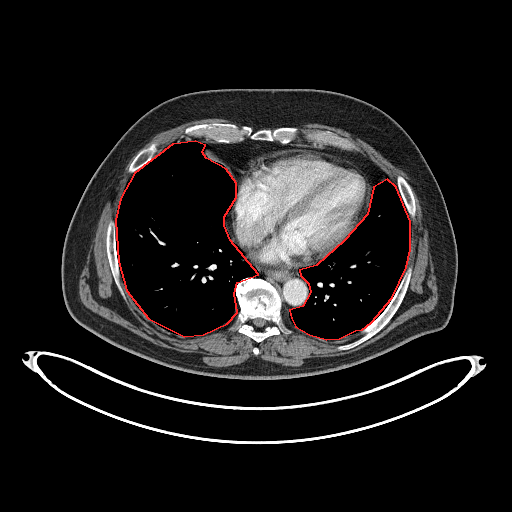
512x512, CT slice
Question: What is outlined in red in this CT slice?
Answer: red: thoracic cavity.
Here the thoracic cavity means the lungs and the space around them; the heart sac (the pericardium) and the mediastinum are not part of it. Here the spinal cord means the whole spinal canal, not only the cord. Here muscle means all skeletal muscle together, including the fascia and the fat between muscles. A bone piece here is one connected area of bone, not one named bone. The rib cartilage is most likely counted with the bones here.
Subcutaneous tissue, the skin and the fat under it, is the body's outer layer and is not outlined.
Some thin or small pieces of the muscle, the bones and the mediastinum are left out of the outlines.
{"thoracic_cavity":[[[184,336],[203,334],[227,323],[237,312],[234,293],[237,282],[258,274],[230,240],[224,225],[224,216],[236,197],[236,183],[226,169],[206,158],[202,152],[205,145],[195,141],[172,144],[134,173],[120,198],[115,220],[118,261],[126,290],[148,318]],[[326,339],[339,338],[355,330],[362,329],[371,322],[392,297],[406,267],[410,249],[410,221],[396,187],[387,179],[373,187],[367,214],[344,240],[316,265],[299,270],[300,275],[308,283],[310,292],[302,306],[289,310],[291,318],[295,326],[309,334]]],"spinal_cord":[[[261,329],[263,327],[264,327],[267,324],[268,324],[268,322],[267,321],[266,321],[265,320],[264,320],[262,318],[255,318],[254,319],[253,319],[251,321],[251,322],[252,323],[252,324],[253,325],[254,325],[255,326],[255,327],[256,328],[260,328]]],"pericardium":[[[289,267],[306,266],[329,254],[355,227],[367,209],[371,193],[371,184],[365,173],[353,162],[337,156],[309,149],[289,149],[278,150],[255,157],[242,169],[239,178],[238,193],[234,204],[234,210],[231,216],[232,224],[240,244],[259,261],[272,266]]],"bones":[{"outer":[[256,342],[260,342],[268,336],[278,334],[281,331],[285,333],[290,333],[291,330],[285,325],[283,320],[281,313],[282,300],[277,290],[269,282],[263,279],[246,277],[238,282],[235,289],[238,303],[238,312],[230,329],[235,328],[239,332],[249,336]],"hole":[[261,329],[263,327],[264,327],[267,324],[268,324],[268,322],[267,321],[266,321],[265,320],[264,320],[262,318],[255,318],[254,319],[253,319],[251,321],[251,322],[252,323],[252,324],[253,325],[254,325],[255,326],[255,327],[256,328],[260,328]]},[[282,144],[290,143],[295,140],[299,132],[295,126],[278,127],[273,130],[264,128],[254,131],[251,127],[246,125],[239,127],[233,123],[214,122],[191,125],[184,130],[185,134],[190,137],[202,137],[216,142],[237,142],[247,136],[255,140],[275,140]],[[338,350],[349,349],[354,347],[377,333],[385,326],[398,309],[406,293],[410,277],[412,273],[411,266],[409,265],[407,266],[402,279],[393,297],[384,310],[371,323],[361,331],[364,334],[361,337],[352,342],[346,343],[343,345],[339,345],[337,347]],[[123,298],[125,298],[126,295],[125,294],[125,289],[123,287],[120,281],[119,267],[117,261],[117,253],[115,248],[115,223],[114,221],[111,219],[108,222],[107,230],[106,231],[106,251],[107,252],[109,265],[111,269],[111,272],[115,284]],[[348,150],[357,150],[357,148],[355,145],[348,140],[346,140],[331,131],[328,130],[321,131],[319,130],[306,135],[307,140],[312,142],[314,144],[318,144],[319,145],[327,144],[328,145],[331,145],[332,146],[339,147],[342,149],[347,149]],[[411,218],[414,217],[416,213],[416,199],[413,194],[413,192],[411,190],[411,187],[410,185],[402,176],[400,175],[397,175],[396,176],[396,185],[400,193],[400,195],[404,202],[404,204],[409,214],[409,216]],[[130,173],[133,173],[135,172],[142,166],[146,164],[155,156],[156,154],[156,151],[158,148],[157,147],[157,144],[156,143],[154,142],[150,143],[148,146],[142,148],[137,153],[137,154],[134,157],[134,158],[129,165],[129,167],[128,168],[128,171]]],"torso":[[[234,379],[285,379],[335,371],[438,331],[449,320],[457,276],[457,249],[443,195],[410,135],[389,114],[365,100],[312,88],[221,88],[171,97],[149,109],[126,130],[101,162],[79,200],[62,255],[63,295],[73,319],[109,343],[150,361],[191,373]]],"mediastinum":[[[372,188],[387,178],[396,186],[366,156],[355,151],[330,146],[282,145],[275,141],[248,138],[230,144],[194,138],[181,141],[195,140],[205,144],[203,152],[207,158],[226,168],[237,185],[241,169],[255,156],[278,149],[309,148],[353,161],[366,173]],[[284,311],[302,305],[308,296],[308,285],[298,273],[298,270],[304,267],[272,267],[252,257],[239,244],[233,230],[230,220],[233,206],[225,216],[225,225],[230,238],[241,248],[245,258],[258,270],[259,274],[256,277],[269,281],[278,290],[283,300]]],"muscle":[[[216,367],[242,363],[252,356],[288,366],[332,358],[360,349],[434,308],[437,285],[429,229],[414,184],[401,167],[341,128],[321,123],[296,126],[300,132],[292,143],[323,147],[308,142],[305,135],[331,130],[353,142],[356,151],[395,183],[395,176],[402,175],[417,199],[416,216],[410,218],[408,264],[413,273],[403,302],[377,334],[354,348],[338,351],[339,344],[358,338],[361,330],[339,339],[318,338],[295,327],[289,313],[282,310],[292,332],[256,343],[229,329],[234,317],[203,335],[175,335],[148,319],[126,291],[123,299],[108,265],[105,231],[107,222],[115,219],[119,198],[132,174],[127,168],[134,154],[101,211],[80,274],[79,298],[94,313],[150,342]],[[157,154],[174,142],[178,142],[182,139],[193,138],[190,138],[189,136],[185,135],[183,130],[186,126],[195,123],[213,122],[214,121],[233,122],[239,126],[243,124],[249,125],[254,130],[264,127],[273,129],[274,128],[278,126],[281,126],[271,126],[264,127],[254,124],[242,124],[233,120],[224,118],[218,118],[217,117],[195,119],[169,129],[166,129],[155,134],[142,147],[146,146],[150,142],[154,141],[158,144],[159,148],[157,151]]]}